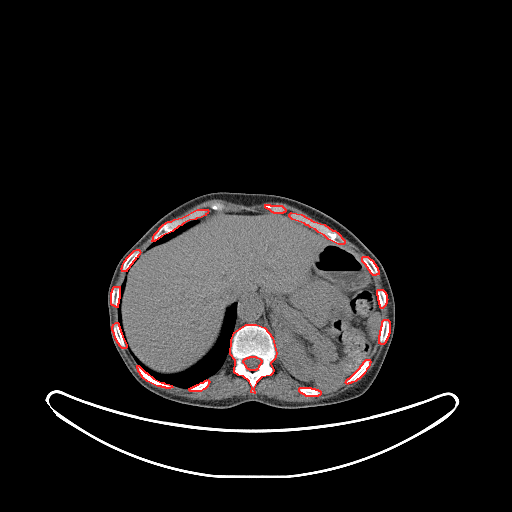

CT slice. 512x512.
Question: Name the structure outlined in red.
Answer: red: bones.
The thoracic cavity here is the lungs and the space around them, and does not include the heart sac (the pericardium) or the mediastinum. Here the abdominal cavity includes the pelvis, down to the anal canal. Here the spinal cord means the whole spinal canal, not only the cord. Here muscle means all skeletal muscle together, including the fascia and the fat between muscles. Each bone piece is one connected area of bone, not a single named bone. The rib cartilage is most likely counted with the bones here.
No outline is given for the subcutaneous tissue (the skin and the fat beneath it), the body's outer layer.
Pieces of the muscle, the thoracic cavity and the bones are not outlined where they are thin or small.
Outlines:
bones 1: [[246,324],[256,324],[264,327],[272,337],[276,353],[274,359],[270,363],[273,370],[272,373],[270,375],[261,377],[256,382],[253,388],[254,393],[251,392],[252,387],[249,381],[243,376],[238,375],[234,372],[235,360],[230,354],[231,340],[234,332]], around a hole outlined by [[250,356],[255,356],[256,357],[259,358],[261,360],[261,362],[260,363],[260,364],[258,366],[257,369],[256,369],[255,370],[250,370],[249,369],[248,369],[246,367],[246,366],[243,362],[243,360],[245,358],[246,358],[247,357],[249,357]]
bones 2: [[291,212],[301,214],[313,221],[324,224],[332,230],[334,230],[337,232],[344,240],[344,243],[343,244],[338,244],[328,239],[324,235],[318,232],[315,229],[310,227],[308,225],[306,225],[304,223],[292,219],[289,216],[289,214]]
bones 3: [[197,209],[207,209],[208,211],[207,213],[205,214],[205,215],[201,217],[196,218],[195,219],[189,220],[183,223],[181,225],[178,226],[172,231],[161,236],[154,241],[152,241],[154,234],[163,224],[168,221],[171,221],[174,219],[182,217]]
bones 4: [[137,365],[138,365],[145,372],[146,372],[153,378],[161,382],[163,382],[164,383],[169,384],[171,385],[172,387],[170,388],[166,388],[165,387],[162,387],[161,386],[157,386],[147,381],[142,377],[142,376],[138,371],[138,369],[137,368]]
bones 5: [[366,359],[369,359],[370,362],[369,363],[369,365],[368,367],[366,369],[364,373],[358,379],[357,379],[355,381],[353,382],[351,382],[350,383],[348,383],[347,384],[345,382],[346,380],[348,378],[349,378],[360,367],[360,366]]
bones 6: [[384,319],[387,319],[389,321],[389,333],[388,334],[388,336],[387,337],[387,338],[386,339],[386,340],[385,341],[385,342],[383,344],[381,344],[380,343],[379,343],[379,335],[380,334],[380,330],[381,329],[381,326],[382,325],[382,321]]
bones 7: [[116,322],[117,322],[118,323],[118,325],[119,326],[119,328],[120,329],[120,331],[121,332],[122,337],[126,344],[126,347],[125,348],[122,348],[119,345],[119,344],[117,342],[117,341],[115,338],[114,333],[112,330],[112,326],[113,325],[113,324]]
bones 8: [[136,249],[138,249],[139,250],[140,252],[139,254],[137,256],[137,257],[135,258],[135,259],[132,262],[132,263],[129,266],[129,267],[126,270],[126,271],[122,271],[121,268],[122,267],[122,265],[124,261],[126,259],[126,258],[134,250]]
bones 9: [[363,256],[367,256],[370,259],[371,259],[373,261],[373,262],[375,264],[375,265],[377,267],[377,269],[378,270],[378,274],[376,274],[375,275],[373,275],[370,272],[370,271],[368,269],[368,268],[366,266],[366,265],[362,261],[362,257]]
bones 10: [[300,387],[310,387],[311,388],[314,388],[315,389],[317,389],[318,390],[319,390],[320,391],[320,394],[319,395],[318,395],[317,396],[306,396],[304,394],[303,394],[302,393],[301,393],[299,391],[299,388]]
bones 11: [[114,286],[119,286],[119,298],[118,299],[118,303],[117,304],[117,307],[116,307],[115,306],[114,306],[113,305],[112,305],[111,304],[111,292],[112,291],[112,289],[113,288],[113,287]]
bones 12: [[378,289],[382,289],[385,292],[385,293],[386,294],[386,298],[387,299],[386,300],[386,303],[385,304],[385,305],[382,308],[381,308],[380,307],[380,305],[379,304],[379,301],[378,300],[378,296],[377,295],[377,290]]
bones 13: [[265,204],[269,204],[270,205],[281,205],[285,209],[285,211],[284,212],[283,212],[282,213],[274,213],[273,212],[272,212],[269,209],[268,209],[267,208],[266,208],[265,207]]
bones 14: [[207,379],[209,381],[209,382],[208,383],[207,386],[204,389],[203,389],[200,391],[190,391],[189,390],[189,388],[190,388],[191,387],[192,387],[193,386],[194,386],[195,385],[196,385],[197,384],[198,384],[201,382],[203,382],[205,380],[206,380]]
mediastinum: [[246,294],[253,294],[255,295],[258,298],[259,301],[261,302],[261,305],[263,308],[263,313],[262,314],[263,318],[265,320],[265,323],[267,325],[269,331],[264,326],[256,323],[246,323],[238,327],[234,331],[237,317],[237,303],[236,302],[241,297]]
thoracic cavity 1: [[234,302],[236,303],[236,317],[233,333],[230,340],[229,352],[221,367],[215,373],[203,381],[190,387],[180,387],[172,385],[150,375],[135,360],[134,356],[146,367],[160,374],[175,374],[187,370],[201,360],[215,345],[222,330],[226,311],[228,307]]
thoracic cavity 2: [[192,220],[195,221],[195,222],[192,225],[191,225],[189,227],[187,227],[179,233],[174,235],[172,237],[170,237],[165,241],[162,241],[160,243],[157,243],[151,246],[150,245],[153,242],[159,239],[161,237],[172,232],[178,227]]
abdominal cavity: [[214,211],[284,214],[360,257],[372,276],[381,325],[367,358],[349,377],[324,389],[304,386],[294,379],[277,352],[262,302],[253,293],[244,294],[227,307],[214,345],[183,371],[160,373],[130,351],[121,315],[127,270],[148,246],[165,242]]
torso: [[210,192],[273,194],[300,201],[346,226],[377,257],[392,289],[395,302],[395,327],[381,368],[363,394],[339,403],[313,407],[277,408],[250,401],[221,409],[165,399],[146,389],[133,377],[110,335],[107,292],[114,270],[125,252],[157,220],[178,205]]
muscle 1: [[378,338],[378,343],[383,345],[379,356],[355,386],[335,396],[314,401],[283,401],[260,394],[194,399],[168,393],[151,384],[166,389],[176,386],[200,392],[208,386],[208,378],[222,367],[229,353],[234,360],[233,372],[248,381],[250,392],[254,394],[257,382],[273,373],[271,363],[277,353],[287,373],[303,386],[298,391],[306,397],[317,397],[321,394],[320,390],[344,381],[347,385],[358,380],[370,365],[368,356]]
muscle 2: [[211,199],[221,199],[246,206],[251,206],[268,202],[285,203],[296,207],[318,221],[313,220],[301,213],[294,211],[291,211],[288,214],[288,216],[283,213],[286,211],[286,209],[281,204],[270,204],[269,203],[265,203],[264,207],[270,211],[264,210],[256,211],[215,211],[220,211],[222,210],[225,206],[221,202],[213,202],[209,205],[209,208],[213,211],[208,213],[209,211],[207,208],[197,208],[182,216],[174,218],[195,205]]
muscle 3: [[120,347],[122,349],[125,349],[127,347],[129,351],[132,354],[134,358],[134,360],[137,364],[136,365],[136,368],[137,369],[137,371],[141,376],[140,376],[129,364],[126,358],[124,356],[123,353],[121,351],[120,349]]
muscle 4: [[342,236],[346,239],[347,239],[350,242],[354,244],[357,247],[358,247],[360,249],[360,250],[366,255],[363,255],[361,257],[361,258],[361,257],[351,248],[349,248],[347,246],[345,246],[343,245],[345,243],[345,240],[342,237]]
muscle 5: [[379,273],[380,274],[380,276],[381,277],[381,281],[382,282],[382,286],[383,287],[383,289],[382,288],[378,288],[377,289],[376,289],[376,287],[375,286],[375,284],[374,283],[374,280],[373,279],[373,276],[375,276],[376,275],[378,275],[379,274]]
muscle 6: [[152,235],[153,235],[151,239],[151,241],[152,242],[149,245],[148,245],[147,247],[146,247],[145,249],[144,249],[143,251],[141,252],[141,253],[140,253],[141,252],[140,250],[138,248],[137,248],[139,246],[140,246],[148,238],[149,238]]
muscle 7: [[120,270],[121,270],[121,271],[122,272],[125,272],[125,274],[123,277],[123,280],[122,281],[122,282],[120,285],[114,285],[114,284],[115,283],[115,281],[117,279],[117,277],[119,274],[119,272],[120,271]]
spinal cord: [[250,356],[255,356],[256,357],[259,358],[261,360],[261,362],[260,363],[260,364],[258,366],[257,369],[256,369],[255,370],[250,370],[249,369],[248,369],[246,367],[246,366],[243,362],[243,360],[245,358],[246,358],[247,357],[249,357]]